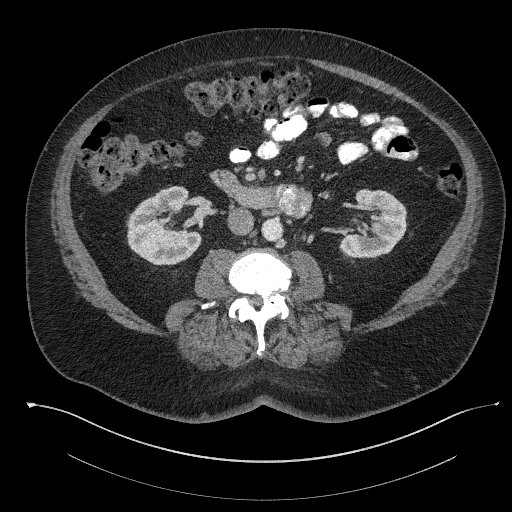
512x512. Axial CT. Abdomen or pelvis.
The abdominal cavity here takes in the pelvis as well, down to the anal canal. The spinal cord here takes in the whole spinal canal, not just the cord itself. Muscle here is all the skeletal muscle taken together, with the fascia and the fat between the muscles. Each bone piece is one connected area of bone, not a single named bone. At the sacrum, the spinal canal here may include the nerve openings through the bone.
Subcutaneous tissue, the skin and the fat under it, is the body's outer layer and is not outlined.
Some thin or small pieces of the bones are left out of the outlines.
{"bones":[{"outer":[[258,356],[265,349],[266,322],[277,315],[284,319],[289,312],[286,295],[283,293],[291,282],[292,269],[276,251],[269,248],[241,252],[232,261],[228,272],[229,283],[240,294],[231,302],[228,316],[241,322],[248,319],[252,321],[256,331]],"hole":[[257,308],[258,308],[262,304],[262,298],[259,295],[257,295],[256,294],[255,295],[252,295],[251,296],[250,296],[250,299],[251,300],[251,303],[255,307],[256,307]]}],"spinal_cord":[[[257,308],[258,308],[262,304],[262,298],[259,295],[257,295],[256,294],[255,295],[252,295],[251,296],[250,296],[250,299],[251,300],[251,303],[255,307],[256,307]]],"abdominal_cavity":[[[159,327],[170,305],[197,297],[201,261],[221,247],[269,247],[281,256],[305,250],[322,270],[322,299],[348,306],[353,324],[376,317],[425,274],[462,213],[465,173],[453,143],[410,104],[297,59],[218,67],[120,102],[80,146],[72,211],[110,289]]],"torso":[[[184,423],[217,421],[261,405],[311,421],[352,421],[440,388],[467,361],[495,296],[505,189],[492,149],[474,120],[423,71],[379,47],[328,31],[228,29],[170,43],[121,65],[86,91],[55,126],[36,161],[25,203],[25,290],[35,340],[67,379]]],"muscle":[{"outer":[[206,371],[242,367],[257,356],[251,321],[227,316],[239,295],[227,281],[237,254],[210,251],[195,278],[198,297],[170,306],[163,328],[119,300],[81,240],[70,205],[73,164],[93,125],[120,101],[162,81],[259,58],[297,58],[410,103],[446,133],[466,173],[463,213],[426,274],[382,314],[353,325],[348,307],[321,299],[325,284],[309,253],[294,250],[282,257],[293,269],[284,293],[290,312],[284,320],[277,316],[267,322],[262,356],[306,370],[334,361],[352,336],[393,325],[438,302],[468,267],[483,212],[481,172],[448,122],[377,77],[325,60],[280,54],[185,68],[124,93],[78,127],[63,148],[50,199],[52,231],[78,292],[123,326],[170,338],[183,358]],"hole":[[202,309],[206,309],[207,308],[209,308],[210,307],[211,307],[212,306],[214,306],[216,304],[216,301],[215,300],[211,300],[210,301],[207,301],[206,302],[205,302],[204,303],[203,303],[202,304],[201,304],[201,305],[200,306],[200,307]]}]}